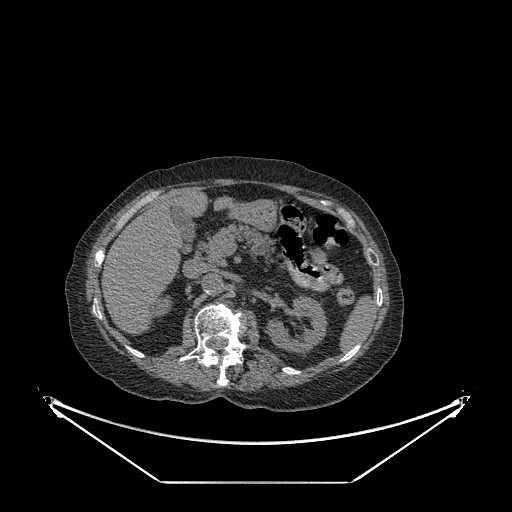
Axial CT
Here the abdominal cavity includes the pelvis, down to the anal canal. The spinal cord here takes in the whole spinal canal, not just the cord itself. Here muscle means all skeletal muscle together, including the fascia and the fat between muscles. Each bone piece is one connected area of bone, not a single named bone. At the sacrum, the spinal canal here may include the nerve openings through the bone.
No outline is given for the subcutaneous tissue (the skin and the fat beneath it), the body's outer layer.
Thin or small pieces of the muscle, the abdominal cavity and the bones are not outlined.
{"bones":[{"outer":[[218,302],[225,303],[241,312],[242,321],[237,333],[239,339],[248,345],[242,352],[243,362],[226,368],[228,384],[218,387],[217,365],[207,367],[198,363],[195,358],[178,361],[179,357],[187,354],[197,345],[193,328],[196,313],[202,307]],"hole":[[216,337],[222,337],[223,338],[225,338],[227,340],[227,344],[225,346],[224,346],[223,347],[223,348],[221,351],[217,351],[215,349],[209,347],[206,344],[207,341],[209,339],[210,339],[211,338],[215,338]]},[[156,190],[160,190],[161,191],[161,192],[159,194],[158,194],[151,201],[146,203],[142,207],[141,207],[122,226],[122,227],[119,230],[117,230],[115,228],[115,224],[118,219],[130,207],[131,207],[141,198],[142,198],[150,192],[152,191],[155,191]],[[337,207],[341,207],[342,208],[343,208],[346,211],[347,211],[350,214],[350,215],[353,218],[353,219],[355,221],[355,223],[356,224],[355,225],[355,227],[352,230],[352,231],[348,227],[348,226],[347,225],[346,222],[335,210],[335,208],[336,208]],[[369,247],[370,247],[372,249],[373,249],[373,250],[376,253],[376,254],[377,255],[377,257],[379,260],[379,264],[377,266],[372,266],[368,262],[368,261],[366,258],[366,256],[365,255],[365,252],[366,251],[366,250],[367,249],[367,248],[368,248]],[[358,342],[360,342],[361,343],[361,346],[355,353],[355,354],[354,355],[353,355],[349,359],[348,359],[343,362],[341,362],[340,363],[337,363],[338,360],[341,357],[342,357],[343,356],[343,355],[347,351],[348,351],[354,345],[355,345]],[[94,296],[96,296],[98,298],[98,299],[99,300],[99,304],[100,305],[100,308],[101,309],[101,311],[102,312],[102,315],[103,316],[103,318],[101,320],[100,319],[99,319],[97,317],[96,317],[92,313],[92,303],[93,302],[93,298],[94,297]],[[100,248],[102,248],[104,250],[104,257],[103,258],[103,260],[102,261],[102,262],[101,263],[101,266],[100,267],[100,268],[99,269],[98,268],[97,268],[94,265],[94,264],[95,263],[95,260],[94,259],[94,255],[95,254],[95,253]],[[125,344],[127,344],[128,345],[129,345],[130,346],[131,346],[132,347],[133,347],[134,348],[139,350],[141,352],[142,352],[145,355],[145,356],[143,358],[141,358],[140,357],[138,357],[137,356],[132,354],[125,348],[125,347],[124,346],[124,345]],[[285,366],[292,366],[293,367],[294,367],[295,368],[297,368],[298,369],[300,369],[301,370],[301,373],[300,373],[299,374],[287,374],[286,373],[285,373],[284,372],[283,372],[282,371],[282,370],[281,369],[283,367],[284,367]],[[377,286],[379,286],[381,288],[381,290],[382,291],[382,295],[383,296],[383,299],[382,300],[382,304],[380,306],[377,306],[376,305],[376,302],[375,301],[375,300],[376,299],[376,296],[375,295],[375,292],[376,291],[376,289],[377,288]]],"abdominal_cavity":[[[236,184],[271,187],[331,212],[361,243],[372,270],[375,307],[359,341],[344,353],[305,367],[288,365],[259,344],[251,309],[222,301],[202,306],[193,318],[188,312],[181,343],[159,355],[130,345],[109,323],[98,275],[108,244],[123,226],[155,198]]],"spinal_cord":[[[216,337],[222,337],[223,338],[225,338],[227,340],[227,344],[225,346],[224,346],[223,347],[223,348],[221,351],[217,351],[215,349],[209,347],[206,344],[207,341],[209,339],[210,339],[211,338],[215,338]]],"torso":[[[224,155],[284,159],[331,176],[351,187],[368,203],[387,235],[401,274],[404,298],[401,341],[383,368],[341,401],[308,410],[272,411],[244,408],[223,397],[197,404],[148,399],[127,392],[97,374],[73,343],[64,281],[75,246],[91,222],[144,173]]],"muscle":[{"outer":[[215,178],[252,179],[259,181],[274,182],[275,183],[293,185],[297,187],[301,187],[313,191],[324,193],[327,195],[332,196],[337,199],[342,204],[347,206],[355,212],[364,223],[383,255],[383,259],[385,263],[385,269],[386,270],[386,276],[387,277],[390,302],[384,320],[382,322],[382,324],[369,348],[353,364],[350,365],[345,369],[334,372],[328,375],[320,376],[316,379],[313,379],[310,381],[302,383],[297,386],[286,387],[284,389],[269,389],[268,388],[256,392],[247,392],[246,391],[241,391],[229,388],[223,388],[222,389],[214,388],[208,391],[197,391],[188,388],[180,387],[174,385],[170,382],[151,376],[142,369],[140,369],[133,362],[130,361],[127,357],[118,353],[106,343],[104,338],[95,324],[94,319],[89,311],[88,308],[89,304],[87,302],[85,296],[85,281],[87,278],[86,276],[87,260],[89,257],[89,254],[92,246],[101,232],[103,227],[114,214],[144,190],[150,188],[158,188],[161,186],[165,186],[180,182],[196,181],[197,180],[207,180]],"holes":[[[236,184],[271,187],[339,218],[335,208],[341,207],[355,221],[352,232],[363,251],[370,247],[376,253],[379,264],[371,267],[373,288],[375,292],[381,288],[382,304],[375,306],[359,339],[361,346],[349,359],[337,363],[344,354],[339,353],[298,367],[299,374],[287,374],[281,369],[288,364],[259,344],[255,313],[243,308],[237,333],[248,347],[242,363],[226,368],[228,384],[218,387],[217,365],[207,367],[195,358],[178,361],[197,345],[189,312],[182,321],[181,343],[143,358],[125,348],[129,342],[103,312],[101,320],[92,313],[94,296],[100,299],[100,270],[94,255],[106,249],[119,231],[116,222],[130,207],[156,190],[161,191],[155,197],[160,198]],[[320,199],[324,199],[325,200],[328,200],[329,201],[330,201],[332,203],[332,206],[328,206],[327,205],[323,205],[320,202],[319,202],[319,200]]]}]}